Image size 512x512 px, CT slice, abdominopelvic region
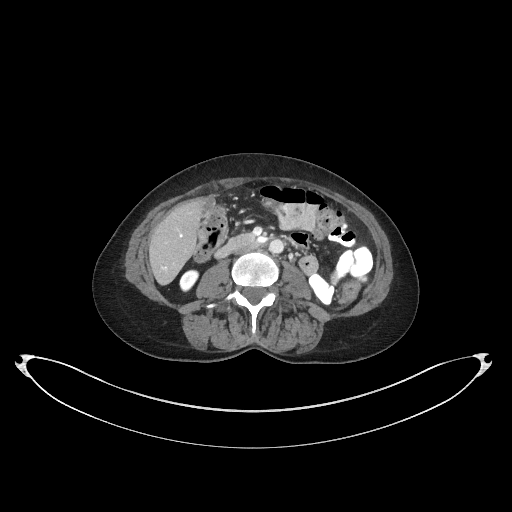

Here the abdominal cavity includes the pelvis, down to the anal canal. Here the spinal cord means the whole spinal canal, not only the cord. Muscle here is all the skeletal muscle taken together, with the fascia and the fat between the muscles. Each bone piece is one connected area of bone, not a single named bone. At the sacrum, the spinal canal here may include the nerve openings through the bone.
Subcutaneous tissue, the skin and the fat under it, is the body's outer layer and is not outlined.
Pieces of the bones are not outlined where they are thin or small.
Outlines:
torso: (292, 364) (341, 364) (365, 359) (393, 345) (409, 329) (418, 307) (419, 280) (411, 253) (393, 220) (369, 196) (338, 174) (300, 158) (273, 153) (215, 156) (174, 173) (152, 188) (123, 218) (95, 262) (92, 296) (104, 323) (128, 345) (160, 359) (217, 362) (255, 349)
muscle: (280, 354) (311, 351) (328, 323) (359, 316) (377, 307) (385, 298) (393, 278) (392, 255) (389, 240) (374, 215) (359, 203) (327, 187) (285, 176) (214, 179) (150, 209) (128, 241) (124, 258) (126, 279) (146, 297) (180, 316) (184, 335) (195, 349) (228, 352) (255, 343) with holes at (252, 334) (260, 310) (276, 299) (271, 288) (283, 260) (302, 272) (312, 296) (330, 311) (351, 307) (373, 275) (367, 228) (319, 191) (294, 182) (248, 182) (180, 200) (148, 232) (154, 283) (172, 301) (193, 299) (201, 274) (227, 260) (236, 287) (225, 299) (249, 312) and at (207, 308) (208, 308) (209, 308) (210, 308) (211, 308) (212, 307) (213, 307) (214, 307) (215, 306) (216, 305) (216, 304) (216, 303) (215, 303) (214, 303) (213, 303) (212, 303) (211, 303) (210, 303) (209, 304) (208, 304) (207, 305) (206, 306) (206, 307)
abdominal cavity: (330, 311) (348, 309) (360, 298) (373, 275) (375, 250) (365, 225) (319, 191) (294, 182) (248, 182) (180, 200) (148, 232) (154, 283) (172, 301) (193, 299) (201, 274) (211, 265) (227, 260) (230, 269) (241, 254) (260, 250) (280, 269) (283, 260) (293, 263) (312, 296)
spinal cord: (252, 304) (256, 304) (267, 293) (267, 289) (266, 288) (264, 288) (263, 287) (243, 287) (242, 288) (242, 289) (241, 290) (241, 292) (242, 293) (242, 294)
bones: (252, 334) (255, 333) (256, 317) (260, 310) (264, 307) (272, 305) (276, 299) (277, 295) (271, 288) (279, 276) (278, 264) (269, 255) (260, 251) (243, 254) (234, 260) (231, 267) (231, 276) (236, 287) (225, 297) (226, 300) (233, 300) (249, 312) (251, 316); inner edge: (252, 304) (256, 304) (267, 293) (267, 289) (266, 288) (264, 288) (263, 287) (243, 287) (242, 288) (242, 289) (241, 290) (241, 292) (242, 293) (242, 294)